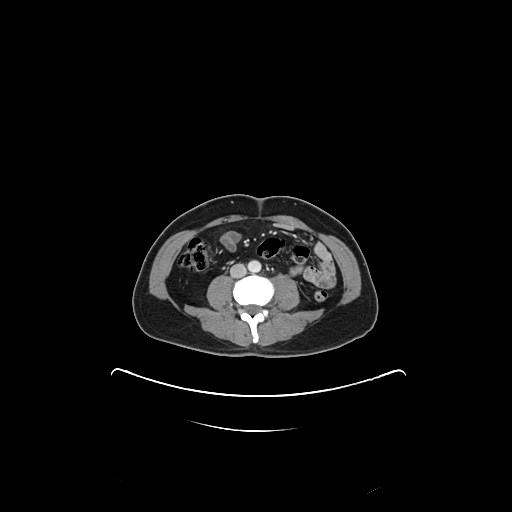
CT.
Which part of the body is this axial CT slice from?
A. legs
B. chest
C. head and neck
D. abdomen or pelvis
D. abdomen or pelvis
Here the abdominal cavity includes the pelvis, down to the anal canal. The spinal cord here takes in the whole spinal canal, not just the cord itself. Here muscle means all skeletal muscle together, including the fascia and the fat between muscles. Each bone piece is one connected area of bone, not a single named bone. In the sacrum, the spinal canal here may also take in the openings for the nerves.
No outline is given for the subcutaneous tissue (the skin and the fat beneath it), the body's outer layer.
The bones are outlined by (251, 274) (269, 278) (274, 287) (273, 295) (266, 305) (268, 314) (263, 321) (257, 324) (256, 327) (258, 334) (258, 340) (256, 343) (253, 343) (252, 341) (253, 338) (249, 324) (246, 321) (242, 320) (238, 314) (238, 305) (234, 300) (232, 294) (234, 283) (237, 280), around a hole outlined by (250, 304) (253, 304) (254, 305) (257, 305) (258, 306) (259, 306) (260, 307) (261, 307) (261, 309) (258, 312) (257, 312) (256, 313) (255, 313) (254, 314) (253, 314) (252, 315) (251, 315) (249, 313) (248, 313) (244, 309) (244, 308) (243, 307) (246, 305) (249, 305). The torso is outlined by (228, 194) (247, 194) (260, 198) (292, 196) (321, 208) (344, 224) (365, 257) (377, 293) (379, 309) (373, 328) (364, 336) (335, 349) (311, 355) (275, 358) (255, 355) (239, 357) (214, 355) (163, 342) (145, 334) (133, 314) (132, 292) (146, 253) (174, 218) (207, 200). The muscle is outlined by (231, 214) (247, 216) (290, 215) (321, 232) (337, 237) (351, 250) (357, 261) (361, 277) (360, 295) (321, 318) (294, 339) (275, 348) (263, 348) (256, 344) (252, 344) (247, 348) (234, 347) (202, 330) (199, 324) (193, 319) (149, 292) (149, 275) (155, 256) (170, 236); inner edge: (244, 220) (280, 223) (318, 238) (342, 281) (341, 295) (330, 307) (294, 310) (301, 300) (297, 282) (280, 272) (270, 277) (274, 291) (267, 316) (257, 324) (256, 343) (238, 314) (229, 275) (209, 282) (205, 297) (210, 307) (181, 305) (167, 285) (177, 255) (192, 237). The spinal cord is outlined by (250, 304) (253, 304) (254, 305) (257, 305) (258, 306) (259, 306) (260, 307) (261, 307) (261, 309) (258, 312) (257, 312) (256, 313) (255, 313) (254, 314) (253, 314) (252, 315) (251, 315) (249, 313) (248, 313) (244, 309) (244, 308) (243, 307) (246, 305) (249, 305). The abdominal cavity is outlined by (244, 220) (296, 227) (321, 240) (340, 272) (342, 292) (339, 299) (328, 308) (294, 310) (301, 300) (298, 284) (285, 273) (271, 277) (251, 273) (234, 282) (229, 275) (219, 274) (206, 288) (205, 297) (210, 307) (181, 305) (170, 293) (167, 280) (182, 247) (209, 228).